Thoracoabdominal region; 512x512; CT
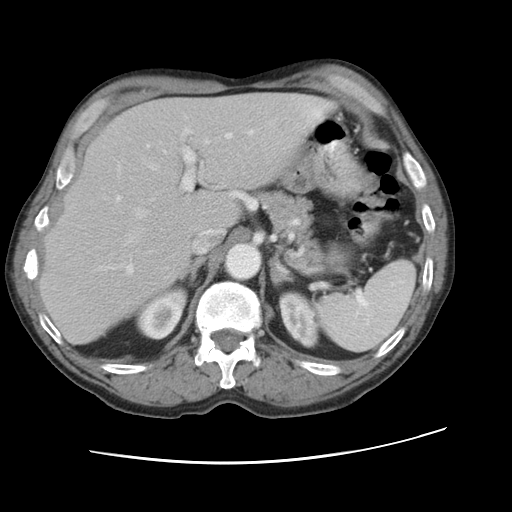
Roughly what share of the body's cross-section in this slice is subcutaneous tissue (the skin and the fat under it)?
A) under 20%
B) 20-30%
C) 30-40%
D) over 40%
Answer: A) under 20%
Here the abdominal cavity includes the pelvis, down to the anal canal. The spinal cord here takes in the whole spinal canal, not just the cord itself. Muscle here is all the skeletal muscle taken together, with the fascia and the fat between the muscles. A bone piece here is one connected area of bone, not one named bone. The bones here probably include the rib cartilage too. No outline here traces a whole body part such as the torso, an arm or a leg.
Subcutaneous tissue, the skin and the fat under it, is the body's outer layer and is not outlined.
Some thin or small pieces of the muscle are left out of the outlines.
The muscle is outlined by (325, 63) (357, 72) (383, 94) (432, 170) (445, 207) (444, 281) (412, 344) (381, 372) (307, 405) (276, 406) (232, 388) (239, 361) (256, 368) (261, 363) (254, 331) (262, 323) (278, 344) (314, 360) (296, 359) (298, 366) (333, 376) (342, 371) (340, 364) (389, 352) (405, 334) (402, 326) (422, 289) (428, 292) (432, 287) (434, 261) (426, 253) (428, 233) (436, 222) (430, 206) (424, 202) (421, 207) (413, 187) (423, 188) (427, 176) (409, 151) (402, 153) (395, 133) (378, 116) (386, 114) (382, 103) (357, 81) (330, 73) (325, 80) (356, 101) (311, 87) (245, 87) (164, 93) (126, 104) (97, 121) (110, 103) (104, 96) (79, 113) (55, 171) (54, 186) (61, 191) (34, 216) (33, 225) (41, 233) (22, 266) (26, 277) (35, 281) (42, 309) (37, 313) (39, 324) (58, 345) (65, 343) (99, 361) (109, 373) (128, 375) (146, 371) (151, 366) (143, 363) (181, 342) (194, 319) (199, 332) (194, 364) (217, 363) (218, 385) (223, 389) (197, 401) (149, 406) (124, 399) (67, 368) (35, 330) (11, 270) (27, 211) (79, 108) (103, 87) (134, 75) (235, 86) (279, 79). The bones appear in 12 outlined pieces: piece 1: (220, 281) (249, 287) (256, 293) (261, 307) (262, 322) (253, 331) (260, 363) (256, 367) (251, 361) (239, 360) (232, 372) (235, 385) (229, 389) (219, 385) (222, 372) (217, 362) (205, 361) (196, 365) (194, 361) (200, 343) (200, 332) (195, 322) (196, 307) (202, 293), around a hole outlined by (226, 328) (231, 328) (232, 329) (234, 329) (237, 331) (241, 332) (243, 334) (243, 339) (239, 342) (239, 346) (229, 352) (225, 352) (221, 349) (218, 348) (216, 346) (216, 344) (214, 340) (212, 338) (212, 334) (214, 332) (218, 330) (221, 330) (222, 329) (225, 329); piece 2: (104, 97) (109, 98) (108, 105) (95, 122) (82, 133) (79, 137) (72, 142) (74, 149) (74, 163) (75, 164) (73, 175) (69, 182) (62, 189) (57, 189) (55, 186) (56, 171) (62, 159) (64, 151) (70, 141) (70, 133) (76, 119) (80, 113) (90, 104) (94, 101); piece 3: (330, 74) (337, 74) (344, 77) (347, 77) (357, 82) (381, 103) (385, 109) (385, 114) (383, 115) (380, 115) (377, 113) (373, 112) (367, 107) (366, 107) (361, 102) (359, 102) (354, 98) (352, 98) (339, 88) (336, 88) (331, 85) (326, 80) (326, 77); piece 4: (406, 151) (409, 152) (417, 160) (417, 161) (420, 164) (420, 165) (426, 176) (426, 184) (423, 187) (422, 187) (421, 188) (416, 188) (413, 185) (411, 179) (409, 177) (409, 176) (406, 172) (406, 170) (404, 167) (404, 162) (403, 161) (403, 156) (402, 155) (402, 154); piece 5: (296, 360) (307, 360) (308, 361) (312, 361) (313, 362) (318, 362) (319, 363) (323, 363) (324, 364) (337, 365) (340, 367) (341, 371) (339, 373) (337, 373) (333, 375) (320, 375) (319, 374) (316, 374) (315, 373) (313, 373) (307, 370) (305, 368) (301, 367) (295, 362); piece 6: (103, 363) (120, 363) (121, 364) (143, 364) (144, 365) (147, 365) (148, 366) (149, 365) (150, 366) (146, 370) (144, 370) (140, 372) (137, 372) (136, 373) (129, 373) (128, 374) (119, 374) (118, 373) (113, 373) (112, 372) (109, 372) (101, 368) (100, 367) (100, 365); piece 7: (400, 327) (404, 327) (405, 328) (405, 331) (404, 332) (404, 334) (402, 336) (402, 337) (399, 340) (399, 341) (389, 351) (388, 351) (385, 354) (384, 354) (379, 357) (374, 357) (374, 356) (373, 355) (375, 353) (375, 352) (378, 349) (378, 348) (386, 340) (387, 340); piece 8: (32, 248) (34, 248) (35, 249) (35, 250) (36, 251) (36, 254) (37, 255) (37, 274) (34, 279) (29, 279) (27, 277) (27, 275) (23, 269) (23, 266) (24, 265) (24, 263) (25, 262) (25, 259) (26, 258) (26, 255) (27, 254) (28, 251) (30, 249) (31, 249); piece 9: (40, 312) (43, 312) (47, 316) (47, 317) (49, 319) (51, 323) (59, 333) (61, 337) (61, 339) (63, 341) (63, 343) (61, 345) (60, 344) (58, 344) (53, 339) (53, 338) (42, 327) (42, 326) (40, 324) (40, 322) (39, 321) (39, 318) (38, 317) (38, 313); piece 10: (426, 257) (430, 257) (433, 261) (433, 273) (432, 274) (432, 281) (431, 282) (431, 287) (428, 291) (424, 291) (424, 290) (423, 289) (423, 287) (422, 286) (422, 278) (423, 277) (423, 268) (424, 267) (424, 264) (425, 263) (425, 260) (426, 259); piece 11: (45, 205) (47, 205) (48, 206) (48, 216) (49, 217) (49, 223) (45, 227) (44, 227) (43, 228) (43, 229) (41, 231) (38, 231) (36, 229) (36, 228) (35, 227) (35, 226) (34, 225) (34, 219) (35, 218) (35, 216) (38, 213) (38, 212); piece 12: (424, 203) (426, 203) (429, 206) (431, 210) (431, 212) (432, 213) (432, 215) (433, 216) (434, 221) (435, 222) (435, 228) (432, 232) (428, 232) (428, 229) (426, 228) (426, 227) (424, 225) (424, 222) (422, 219) (422, 211) (421, 210) (421, 208) (422, 207) (422, 205). The mediastinum is outlined by (375, 114) (376, 114) (381, 120) (384, 121) (394, 133) (401, 151) (403, 167) (406, 174) (410, 179) (410, 182) (407, 179) (403, 172) (403, 167) (401, 163) (400, 155) (396, 147) (390, 142) (388, 142) (385, 140) (380, 140) (375, 130) (375, 121) (374, 120) (374, 116). The abdominal cavity is outlined by (245, 88) (317, 89) (374, 114) (427, 229) (422, 288) (407, 319) (367, 356) (314, 361) (267, 332) (253, 289) (220, 280) (199, 296) (181, 341) (154, 359) (101, 362) (72, 348) (43, 311) (36, 249) (48, 205) (74, 175) (80, 136) (108, 114) (160, 95). The spinal cord is outlined by (226, 328) (231, 328) (232, 329) (234, 329) (237, 331) (241, 332) (243, 334) (243, 339) (239, 342) (239, 346) (229, 352) (225, 352) (221, 349) (218, 348) (216, 346) (216, 344) (214, 340) (212, 338) (212, 334) (214, 332) (218, 330) (221, 330) (222, 329) (225, 329).